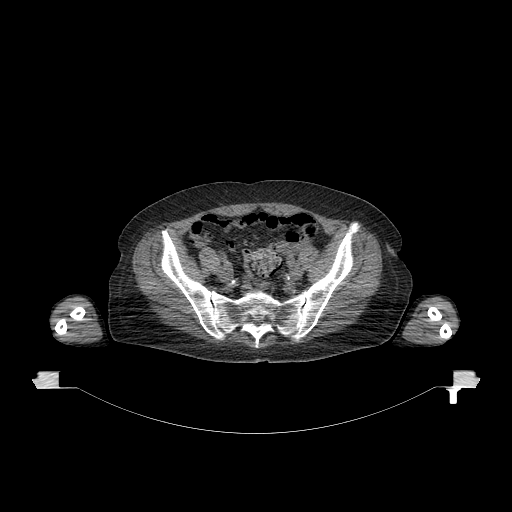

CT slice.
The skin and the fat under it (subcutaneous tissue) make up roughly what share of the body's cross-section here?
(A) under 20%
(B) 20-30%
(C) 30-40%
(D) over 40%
(C) 30-40%
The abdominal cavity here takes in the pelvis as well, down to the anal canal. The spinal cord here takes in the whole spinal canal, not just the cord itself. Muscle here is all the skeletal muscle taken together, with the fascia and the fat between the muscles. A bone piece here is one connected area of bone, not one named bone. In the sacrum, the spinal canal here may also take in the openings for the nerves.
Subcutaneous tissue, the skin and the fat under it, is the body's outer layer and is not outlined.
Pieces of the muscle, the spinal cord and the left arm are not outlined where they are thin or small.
Outlined structures:
bones 1: [[354,221],[360,226],[352,235],[352,267],[332,292],[317,323],[297,342],[269,331],[255,348],[253,336],[238,327],[221,340],[211,336],[161,267],[161,230],[166,228],[184,272],[192,279],[233,299],[257,288],[282,301],[326,274],[349,224]]; inner edge: [[249,314],[252,314],[254,316],[254,318],[253,319],[254,320],[261,320],[262,321],[258,325],[257,325],[256,324],[255,324],[255,323],[252,320],[249,320],[247,318],[247,316]]
bones 2: [[60,318],[65,318],[66,319],[66,323],[67,324],[67,329],[66,330],[66,333],[65,334],[63,334],[62,335],[59,335],[58,334],[57,334],[57,333],[55,331],[55,330],[54,329],[54,327],[56,324],[56,322],[57,321],[57,320]]
bones 3: [[76,306],[81,306],[85,310],[85,313],[84,314],[84,318],[83,319],[83,320],[74,320],[70,316],[70,315],[69,314],[70,313],[70,312],[74,308],[75,308],[76,307]]
bones 4: [[430,306],[434,306],[435,307],[436,307],[437,308],[437,309],[441,313],[441,315],[442,316],[441,317],[441,319],[440,320],[436,320],[435,321],[429,321],[428,320],[428,319],[429,318],[429,317],[427,314],[427,311],[428,310],[428,309]]
bones 5: [[444,322],[448,322],[449,323],[449,325],[450,326],[450,328],[451,329],[451,331],[452,332],[452,333],[451,334],[451,336],[448,339],[444,339],[443,338],[440,337],[440,335],[439,334],[439,329],[440,328],[441,325]]
muscle 1: [[254,202],[288,203],[328,218],[358,220],[375,235],[382,252],[380,285],[353,323],[307,342],[259,348],[261,338],[269,332],[277,332],[297,343],[306,336],[353,267],[353,235],[361,226],[356,220],[351,221],[329,269],[308,286],[308,270],[300,254],[308,246],[322,251],[331,236],[305,211],[292,215],[277,215],[265,209],[239,215],[207,212],[195,219],[181,238],[187,253],[200,268],[202,250],[209,248],[215,252],[219,262],[205,277],[205,284],[211,288],[185,272],[168,229],[160,230],[161,270],[189,302],[202,328],[220,341],[238,328],[252,336],[254,348],[238,343],[205,342],[163,323],[149,309],[148,300],[136,287],[131,262],[143,234],[157,224],[200,211]]
muscle 2: [[436,296],[441,297],[448,301],[455,311],[457,323],[453,331],[452,331],[450,323],[448,321],[444,321],[438,329],[439,337],[443,339],[439,342],[435,343],[416,343],[404,339],[402,337],[402,332],[408,321],[412,318],[413,313],[418,304],[427,298]]; inner edge: [[430,306],[434,306],[435,307],[436,307],[437,308],[437,309],[441,313],[441,315],[442,316],[441,317],[441,319],[440,320],[436,320],[435,321],[429,321],[428,320],[428,319],[429,318],[429,317],[427,314],[427,311],[428,310],[428,309]]
muscle 3: [[72,297],[83,297],[92,305],[96,314],[97,321],[102,331],[102,337],[99,340],[93,342],[80,343],[63,340],[57,335],[59,336],[65,335],[67,333],[68,324],[67,319],[65,317],[60,317],[56,320],[54,326],[52,323],[54,311],[60,303]]; inner edge: [[76,306],[81,306],[85,310],[85,313],[84,314],[84,318],[83,319],[83,320],[74,320],[70,316],[70,315],[69,314],[70,313],[70,312],[74,308],[75,308],[76,307]]
right arm: [[71,293],[84,293],[90,296],[94,300],[101,313],[101,316],[104,320],[104,323],[108,336],[108,344],[106,346],[103,347],[93,347],[92,348],[75,347],[61,343],[52,336],[51,330],[49,326],[49,322],[48,321],[51,307],[56,301],[62,297]]
torso: [[267,179],[308,181],[356,195],[375,205],[392,221],[402,238],[398,254],[412,275],[413,285],[403,321],[391,338],[375,347],[314,361],[286,363],[214,362],[114,340],[107,322],[108,279],[119,260],[118,237],[128,221],[149,204],[184,188],[216,181]]
spinal cord: [[249,314],[252,314],[254,316],[254,318],[253,319],[254,320],[261,320],[262,321],[258,325],[257,325],[256,324],[255,324],[255,323],[252,320],[249,320],[247,318],[247,316]]
abdominal cavity: [[258,210],[277,216],[305,212],[330,236],[320,251],[313,245],[301,250],[299,259],[307,270],[307,287],[282,300],[257,287],[237,298],[210,289],[206,277],[218,267],[216,252],[209,247],[202,249],[198,256],[200,267],[182,238],[204,214],[239,216]]
left arm: [[430,292],[435,292],[447,295],[455,302],[461,319],[460,325],[457,332],[455,335],[445,343],[435,347],[396,347],[394,346],[392,343],[392,340],[394,337],[393,335],[395,332],[396,334],[397,333],[398,328],[403,323],[405,315],[412,303],[420,295]]